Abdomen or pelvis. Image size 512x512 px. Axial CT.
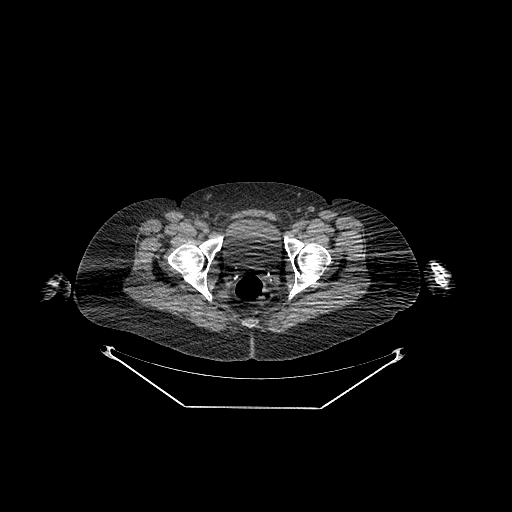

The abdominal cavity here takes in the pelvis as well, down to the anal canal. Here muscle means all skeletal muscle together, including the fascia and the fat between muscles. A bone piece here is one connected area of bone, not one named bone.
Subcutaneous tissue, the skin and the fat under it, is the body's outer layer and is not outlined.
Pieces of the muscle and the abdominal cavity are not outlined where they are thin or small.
The abdominal cavity is outlined by (244, 217) (265, 218) (277, 222) (283, 228) (282, 240) (283, 247) (286, 252) (285, 294) (282, 300) (277, 305) (259, 315) (246, 315) (240, 313) (221, 301) (215, 290) (217, 286) (216, 283) (221, 276) (220, 256) (217, 253) (222, 248) (224, 241) (224, 226) (229, 221). The torso is outlined by (238, 181) (293, 184) (312, 190) (329, 202) (348, 198) (383, 213) (401, 231) (416, 258) (420, 277) (416, 300) (391, 320) (358, 336) (313, 354) (281, 361) (195, 357) (88, 320) (76, 307) (72, 289) (87, 244) (112, 214) (136, 201) (167, 197) (178, 202) (204, 187). The left arm is outlined by (434, 258) (441, 260) (446, 265) (447, 268) (451, 274) (452, 279) (455, 283) (455, 289) (452, 291) (449, 295) (444, 297) (439, 297) (434, 295) (428, 289) (427, 287) (427, 284) (424, 278) (424, 273) (423, 272) (424, 267) (426, 263) (430, 259) (433, 259). The bones appear in 6 outlined pieces: piece 1: (218, 234) (223, 235) (223, 241) (221, 248) (215, 254) (207, 272) (207, 285) (212, 295) (212, 300) (210, 302) (199, 291) (189, 283) (186, 282) (180, 273) (173, 269) (168, 264) (167, 256) (177, 246) (187, 240) (193, 240) (195, 242) (194, 243) (197, 245) (211, 236); piece 2: (286, 233) (304, 242) (318, 242) (329, 251) (329, 253) (332, 258) (332, 262) (329, 265) (328, 269) (323, 273) (319, 279) (306, 287) (303, 290) (295, 294) (291, 299) (288, 298) (288, 293) (294, 282) (294, 271) (291, 265) (289, 256) (284, 247) (283, 236) (284, 234); piece 3: (434, 262) (441, 265) (445, 269) (445, 271) (449, 275) (449, 276) (447, 278) (447, 280) (448, 281) (448, 284) (447, 285) (447, 288) (443, 288) (442, 287) (440, 287) (435, 282) (435, 281) (434, 280) (434, 275) (433, 274) (433, 272) (431, 269) (431, 264); piece 4: (249, 317) (251, 318) (257, 318) (259, 320) (259, 322) (258, 323) (259, 326) (258, 327) (253, 327) (252, 328) (249, 328) (248, 327) (246, 327) (245, 326) (243, 326) (241, 325) (240, 323) (240, 321) (242, 319) (244, 319) (245, 318) (248, 318); piece 5: (48, 289) (50, 289) (51, 290) (52, 290) (54, 292) (54, 293) (55, 294) (55, 296) (54, 297) (54, 298) (52, 300) (51, 300) (50, 301) (48, 301) (47, 300) (46, 300) (44, 298) (44, 297) (43, 296) (43, 294) (44, 293) (44, 292) (46, 290) (47, 290); piece 6: (57, 277) (58, 277) (59, 278) (60, 278) (60, 279) (61, 280) (61, 281) (60, 282) (60, 283) (58, 285) (57, 285) (56, 286) (51, 286) (50, 285) (49, 285) (49, 284) (48, 283) (48, 282) (49, 281) (49, 280) (50, 279) (51, 279) (52, 278) (56, 278). The muscle appears in 2 outlined pieces: piece 1: (249, 208) (284, 210) (295, 218) (321, 209) (340, 210) (360, 220) (365, 228) (371, 282) (369, 290) (361, 298) (283, 333) (249, 329) (244, 333) (225, 334) (142, 306) (126, 295) (125, 279) (134, 259) (136, 233) (142, 222) (170, 210) (211, 219) (220, 211) (234, 212); inner edges: (244, 217) (275, 221) (284, 234) (318, 242) (332, 258) (317, 281) (289, 299) (294, 271) (287, 253) (285, 294) (259, 315) (240, 313) (221, 301) (215, 290) (221, 276) (217, 253) (207, 272) (211, 302) (167, 262) (180, 244) (193, 240) (197, 245) (222, 234) (229, 221), then (249, 317) (251, 318) (257, 318) (259, 320) (259, 322) (258, 323) (259, 326) (258, 327) (253, 327) (252, 328) (249, 328) (248, 327) (246, 327) (245, 326) (243, 326) (241, 325) (240, 323) (240, 321) (242, 319) (244, 319) (245, 318) (248, 318); piece 2: (56, 275) (61, 275) (63, 276) (64, 278) (64, 283) (63, 285) (57, 291) (56, 291) (55, 293) (55, 292) (50, 288) (48, 288) (43, 291) (43, 288) (47, 283) (47, 282) (50, 288) (56, 287) (61, 283) (62, 280) (60, 277) (58, 276) (56, 277) (52, 277). The right arm is outlined by (56, 271) (60, 271) (69, 281) (70, 283) (70, 287) (71, 288) (71, 293) (68, 296) (66, 300) (61, 304) (59, 303) (56, 305) (54, 304) (51, 306) (45, 306) (42, 304) (40, 304) (36, 302) (35, 299) (38, 293) (38, 289) (40, 287) (42, 282) (50, 274).